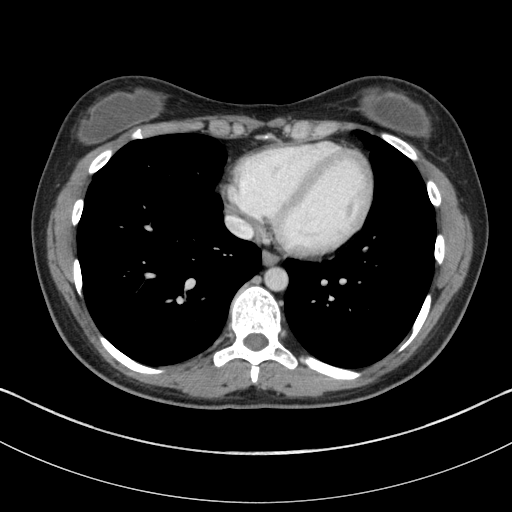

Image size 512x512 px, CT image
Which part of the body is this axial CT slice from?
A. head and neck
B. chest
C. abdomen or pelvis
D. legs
Answer: B. chest
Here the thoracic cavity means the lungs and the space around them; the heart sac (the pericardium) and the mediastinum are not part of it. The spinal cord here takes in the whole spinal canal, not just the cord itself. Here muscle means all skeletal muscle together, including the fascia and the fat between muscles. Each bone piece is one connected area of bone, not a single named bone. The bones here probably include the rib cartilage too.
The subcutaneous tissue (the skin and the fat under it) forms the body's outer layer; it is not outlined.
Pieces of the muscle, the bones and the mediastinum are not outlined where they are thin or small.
{"breast_implant":[[[86,145],[94,145],[101,143],[111,137],[125,131],[134,125],[136,125],[141,121],[156,117],[161,112],[163,106],[162,100],[154,92],[141,87],[134,87],[128,92],[113,93],[96,100],[92,104],[90,112],[83,118],[80,124],[80,139],[82,143]],[[406,136],[424,136],[430,133],[430,130],[431,129],[431,115],[417,100],[410,97],[402,91],[390,91],[387,89],[379,89],[368,92],[361,98],[359,102],[359,109],[363,116],[365,116],[379,125],[382,128],[388,131],[393,132],[398,135],[405,135]]],"thoracic_cavity":[[[151,366],[186,360],[217,343],[227,329],[233,296],[260,268],[260,249],[233,235],[223,223],[223,203],[214,188],[223,171],[226,152],[215,138],[207,134],[162,134],[132,140],[124,145],[93,175],[77,226],[83,293],[90,314],[101,333],[118,349]],[[353,369],[377,361],[409,332],[430,285],[436,235],[434,208],[429,201],[425,183],[413,162],[379,137],[360,129],[353,131],[370,150],[374,174],[374,198],[361,231],[330,259],[317,262],[287,258],[284,263],[290,281],[283,308],[294,342],[324,362]]],"pericardium":[[[300,258],[318,257],[338,247],[361,229],[369,211],[373,198],[373,174],[371,166],[362,151],[349,142],[337,138],[326,137],[280,141],[258,145],[233,160],[227,166],[219,183],[219,193],[224,204],[245,219],[261,240],[268,245],[272,245],[284,254]]],"spinal_cord":[[[253,350],[259,350],[263,347],[264,347],[267,344],[267,340],[266,339],[266,338],[263,335],[262,335],[261,334],[250,334],[249,335],[248,335],[245,338],[245,339],[244,340],[244,343],[245,344],[245,345],[249,348],[250,348]]],"bones":[{"outer":[[254,384],[259,364],[267,359],[290,369],[300,362],[336,379],[353,379],[361,372],[296,354],[283,342],[291,340],[281,324],[278,303],[263,287],[252,285],[232,301],[225,334],[229,343],[213,353],[213,362],[219,367],[233,358],[247,360]],"hole":[[253,350],[259,350],[263,347],[264,347],[267,344],[267,340],[266,339],[266,338],[263,335],[262,335],[261,334],[250,334],[249,335],[248,335],[245,338],[245,339],[244,340],[244,343],[245,344],[245,345],[249,348],[250,348]]},[[294,139],[304,139],[309,136],[310,136],[311,138],[323,137],[326,135],[328,135],[337,131],[338,129],[338,125],[333,123],[322,123],[313,126],[311,123],[307,121],[297,121],[293,123],[290,123],[285,126],[284,128],[284,132],[288,136]],[[131,139],[142,139],[146,137],[162,133],[179,132],[181,130],[195,129],[201,127],[203,123],[202,121],[198,120],[197,121],[178,122],[177,123],[169,123],[168,124],[152,124],[147,127],[137,128],[131,133],[130,135]],[[146,374],[155,374],[156,373],[161,373],[163,372],[164,370],[163,369],[161,368],[156,368],[155,367],[147,366],[133,360],[118,350],[100,333],[98,334],[98,337],[101,344],[114,358],[128,368],[132,370],[134,370],[141,373],[145,373]],[[398,351],[401,351],[404,349],[412,341],[423,324],[427,316],[431,304],[431,299],[432,298],[431,297],[431,294],[429,292],[428,292],[425,297],[425,299],[422,304],[419,313],[411,328],[411,331],[409,335],[399,345]],[[225,137],[226,137],[226,136],[230,132],[233,133],[237,136],[243,134],[245,132],[244,126],[239,123],[233,123],[232,124],[229,124],[226,120],[221,118],[214,118],[212,119],[208,124],[208,127],[210,131],[213,133],[215,133],[218,135],[221,135]],[[413,161],[416,161],[418,159],[418,157],[414,149],[407,142],[406,142],[401,138],[391,133],[389,133],[385,131],[382,131],[380,132],[379,136],[381,138],[382,138],[384,140],[385,140],[387,142],[388,142],[390,144],[394,146],[402,153],[403,153]],[[91,175],[92,175],[100,168],[101,168],[106,163],[106,162],[113,154],[114,151],[111,148],[107,148],[105,149],[103,151],[99,153],[92,160],[89,166],[89,168],[88,169],[88,172],[89,174]],[[434,207],[438,207],[440,205],[440,203],[441,202],[441,198],[440,197],[440,194],[439,193],[439,191],[438,190],[438,188],[437,187],[436,184],[431,179],[428,179],[426,181],[426,187],[427,188],[427,192],[428,193],[428,195],[429,196],[430,201]],[[81,298],[83,297],[83,294],[82,293],[82,280],[81,279],[81,271],[80,270],[80,267],[79,266],[79,262],[78,261],[78,259],[76,257],[74,258],[73,260],[73,279],[74,280],[74,283],[75,284],[75,287],[76,288],[76,290],[79,296]],[[437,264],[441,264],[441,263],[443,260],[443,256],[444,255],[444,249],[445,248],[445,246],[444,245],[444,238],[443,237],[443,235],[441,233],[437,233],[437,235],[436,236],[436,239],[435,240],[435,249],[434,250],[434,257],[435,258],[435,262]],[[74,226],[76,226],[77,225],[79,221],[79,219],[81,216],[81,213],[82,212],[82,208],[83,207],[83,198],[81,197],[80,198],[78,198],[74,202],[74,204],[73,205],[73,209],[72,210],[72,215],[71,216],[71,219],[72,220],[72,224]]],"torso":[[[202,410],[314,409],[361,402],[409,380],[445,347],[476,286],[489,223],[463,133],[427,90],[401,78],[373,74],[289,103],[235,103],[153,76],[130,74],[96,84],[72,105],[44,165],[31,212],[34,264],[50,317],[74,356],[106,382],[140,398]]],"mediastinum":[[[291,338],[282,308],[289,281],[283,263],[287,257],[294,257],[284,255],[265,244],[245,220],[224,205],[223,214],[226,227],[236,236],[254,242],[261,249],[262,257],[260,270],[238,290],[233,299],[252,284],[263,286],[279,303],[282,310],[282,324]],[[222,176],[225,171],[226,166],[238,155],[245,152],[258,144],[277,141],[273,140],[267,140],[266,141],[256,140],[252,135],[244,136],[243,137],[237,137],[236,138],[222,138],[221,137],[213,136],[224,146],[227,152],[227,159],[224,166],[224,171]],[[369,161],[369,150],[366,149],[364,147],[361,141],[353,133],[352,131],[353,129],[351,130],[338,131],[333,134],[326,136],[327,137],[328,136],[330,136],[331,137],[337,137],[343,140],[346,140],[355,144],[363,151],[363,152],[367,156]],[[317,261],[319,261],[324,258],[330,258],[332,257],[338,249],[345,245],[346,243],[347,243],[359,232],[354,234],[338,248],[332,251],[329,254],[327,254],[318,258],[312,258],[311,259],[300,259],[299,258],[295,258],[298,259],[301,259],[302,260],[316,260]]],"muscle":[[[208,399],[233,395],[251,385],[290,398],[317,397],[373,382],[406,361],[461,287],[472,256],[468,213],[445,174],[410,144],[424,181],[431,178],[439,188],[442,202],[435,208],[435,219],[446,246],[442,264],[434,267],[430,311],[413,341],[401,352],[398,345],[377,362],[357,369],[362,375],[353,380],[336,380],[300,363],[290,370],[267,360],[260,364],[254,385],[247,361],[237,358],[219,368],[213,364],[212,353],[228,343],[225,332],[213,347],[186,361],[156,367],[165,370],[155,375],[128,369],[102,347],[100,332],[72,279],[77,250],[70,216],[73,202],[84,198],[91,180],[87,172],[91,160],[107,147],[115,152],[131,140],[133,130],[137,127],[152,123],[200,119],[201,128],[181,131],[221,136],[207,127],[212,118],[221,117],[245,126],[246,132],[239,136],[270,132],[278,141],[289,137],[284,126],[297,120],[313,125],[333,122],[338,130],[360,128],[378,136],[385,130],[355,121],[206,115],[134,126],[80,159],[57,196],[46,230],[47,262],[58,290],[88,340],[114,368],[144,383]]]}